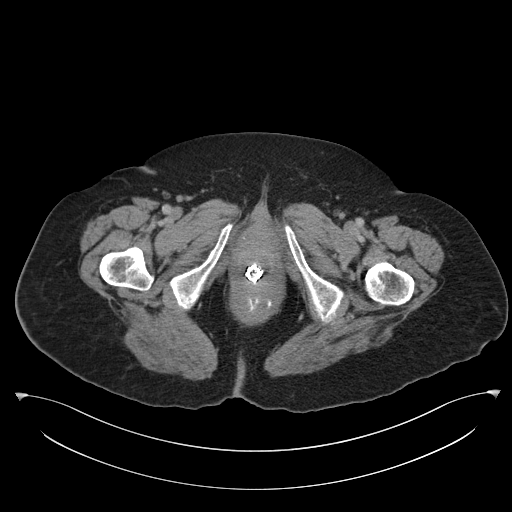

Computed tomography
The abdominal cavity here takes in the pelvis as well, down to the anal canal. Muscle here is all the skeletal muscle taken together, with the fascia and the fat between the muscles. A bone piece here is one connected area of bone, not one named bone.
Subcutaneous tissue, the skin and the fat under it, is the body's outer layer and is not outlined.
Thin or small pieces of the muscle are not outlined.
The bones appear in 4 outlined pieces: piece 1: (286, 224) (294, 232) (296, 239) (302, 250) (305, 260) (310, 268) (322, 278) (337, 285) (344, 292) (344, 295) (340, 304) (335, 312) (335, 316) (328, 322) (323, 322) (312, 310) (313, 306) (310, 300) (308, 289) (294, 260) (286, 238) (286, 234) (284, 230) (284, 225); piece 2: (132, 246) (136, 246) (142, 250) (145, 263) (146, 264) (146, 267) (148, 271) (154, 277) (153, 282) (150, 288) (144, 291) (141, 291) (137, 289) (133, 289) (129, 287) (121, 287) (120, 286) (110, 285) (101, 277) (99, 272) (99, 263) (103, 255) (111, 251) (122, 251); piece 3: (382, 261) (389, 262) (396, 268) (398, 268) (407, 272) (413, 278) (415, 283) (414, 285) (414, 291) (410, 299) (405, 303) (400, 305) (385, 305) (384, 304) (382, 304) (373, 300) (369, 297) (366, 291) (364, 289) (364, 276) (367, 269) (374, 264); piece 4: (228, 223) (232, 223) (233, 225) (230, 231) (228, 239) (220, 254) (219, 258) (208, 275) (203, 285) (202, 290) (195, 303) (189, 309) (183, 309) (178, 306) (177, 304) (176, 299) (169, 284) (170, 279) (175, 275) (185, 272) (198, 266) (202, 263) (215, 245) (222, 228). The abdominal cavity is outlined by (254, 244) (255, 245) (262, 245) (266, 247) (272, 252) (275, 258) (277, 265) (277, 281) (275, 284) (276, 297) (275, 302) (271, 308) (262, 317) (257, 319) (248, 319) (242, 316) (237, 308) (236, 299) (234, 294) (234, 288) (236, 285) (238, 259) (241, 254) (248, 247). The muscle is outlined by (126, 196) (189, 211) (220, 198) (244, 216) (267, 218) (307, 202) (337, 224) (413, 213) (442, 246) (443, 285) (381, 346) (308, 374) (270, 377) (265, 358) (309, 315) (288, 277) (278, 312) (256, 326) (241, 327) (233, 318) (222, 281) (199, 298) (229, 239) (234, 225) (228, 222) (202, 262) (168, 281) (178, 307) (189, 310) (196, 302) (192, 316) (218, 347) (217, 368) (195, 381) (159, 373) (116, 337) (111, 308) (78, 273) (87, 221) (96, 208) with holes at (254, 244) (255, 245) (262, 245) (266, 247) (272, 252) (275, 258) (277, 265) (277, 281) (275, 284) (276, 297) (275, 302) (271, 308) (262, 317) (257, 319) (248, 319) (242, 316) (237, 308) (236, 299) (234, 294) (234, 288) (236, 285) (238, 259) (241, 254) (248, 247) and at (286, 224) (294, 232) (296, 239) (302, 250) (305, 260) (310, 268) (322, 278) (337, 285) (344, 292) (344, 295) (340, 304) (335, 312) (335, 316) (328, 322) (323, 322) (312, 310) (313, 306) (310, 300) (308, 289) (294, 260) (286, 238) (286, 234) (284, 230) (284, 225) and at (132, 246) (136, 246) (142, 250) (145, 263) (146, 264) (146, 267) (148, 271) (154, 277) (153, 282) (150, 288) (144, 291) (141, 291) (137, 289) (133, 289) (129, 287) (121, 287) (120, 286) (110, 285) (101, 277) (99, 272) (99, 263) (103, 255) (111, 251) (122, 251) and at (382, 261) (389, 262) (396, 268) (398, 268) (407, 272) (413, 278) (415, 283) (414, 285) (414, 291) (410, 299) (405, 303) (400, 305) (385, 305) (384, 304) (382, 304) (373, 300) (369, 297) (366, 291) (364, 289) (364, 276) (367, 269) (374, 264). The torso is outlined by (250, 131) (344, 145) (379, 166) (401, 190) (432, 195) (460, 211) (502, 276) (508, 298) (502, 334) (478, 355) (392, 394) (304, 413) (263, 409) (240, 397) (198, 409) (150, 406) (86, 382) (38, 350) (18, 321) (14, 294) (39, 229) (56, 203) (174, 143).